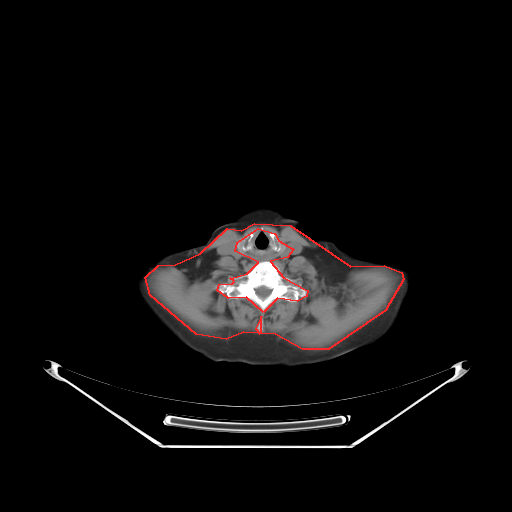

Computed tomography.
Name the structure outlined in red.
red: muscle.
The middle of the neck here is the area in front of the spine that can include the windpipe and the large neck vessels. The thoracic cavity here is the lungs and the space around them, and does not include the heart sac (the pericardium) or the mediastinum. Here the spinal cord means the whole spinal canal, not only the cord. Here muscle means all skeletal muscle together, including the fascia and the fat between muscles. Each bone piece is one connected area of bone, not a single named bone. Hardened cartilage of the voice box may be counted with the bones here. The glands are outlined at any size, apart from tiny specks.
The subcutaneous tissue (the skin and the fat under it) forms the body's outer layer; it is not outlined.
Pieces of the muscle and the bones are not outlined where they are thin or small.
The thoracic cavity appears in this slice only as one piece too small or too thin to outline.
{"muscle":[{"outer":[[254,223],[290,225],[350,266],[384,265],[401,272],[403,279],[385,310],[328,349],[302,349],[275,334],[261,333],[261,316],[255,328],[259,333],[243,332],[226,339],[196,334],[150,295],[145,277],[158,265],[175,264],[200,253],[227,228],[241,230]],"hole":[[258,228],[274,233],[278,240],[293,249],[287,257],[270,261],[283,277],[307,290],[306,296],[297,301],[277,298],[263,312],[246,297],[228,298],[217,290],[219,284],[232,283],[234,281],[230,278],[247,273],[258,262],[235,251],[237,242]]}],"torso":[[[258,205],[279,209],[299,221],[301,231],[309,238],[330,240],[360,258],[412,263],[416,281],[391,331],[373,345],[329,360],[290,367],[260,367],[210,361],[186,347],[162,326],[139,299],[134,288],[136,275],[144,264],[169,252],[203,244],[218,226]]],"bones":[{"outer":[[260,261],[270,261],[276,265],[283,277],[290,278],[293,280],[292,284],[307,290],[306,296],[293,302],[277,298],[261,312],[259,306],[246,297],[228,298],[225,293],[218,292],[217,286],[219,284],[232,283],[234,281],[230,278],[236,278],[247,273]],"hole":[[260,286],[265,286],[266,287],[267,287],[268,288],[269,288],[271,290],[271,291],[270,292],[270,293],[267,296],[266,296],[264,298],[262,298],[261,297],[260,297],[256,293],[256,292],[255,291],[255,289],[256,288],[257,288],[258,287],[259,287]]},[[272,232],[276,235],[276,237],[278,240],[278,244],[279,245],[279,247],[280,248],[279,248],[277,250],[275,250],[274,249],[274,246],[275,246],[276,245],[276,243],[275,242],[274,239],[270,236],[270,233],[271,233]]],"middle_of_the_neck":[[[258,228],[263,228],[271,232],[269,236],[275,243],[273,249],[279,254],[282,254],[287,246],[293,250],[283,259],[275,258],[258,261],[244,257],[242,255],[244,252],[252,248],[249,243],[244,245],[245,238],[248,238],[249,241],[254,235],[251,232]]],"thyroid_glands":[[[242,239],[244,239],[244,241],[243,242],[243,246],[242,247],[243,248],[243,250],[244,251],[243,252],[243,254],[241,254],[240,253],[240,252],[238,250],[238,249],[237,248],[237,247],[236,246],[236,244],[237,243],[237,242],[239,240],[241,240]],[[279,240],[281,240],[282,241],[283,241],[285,243],[285,244],[286,245],[286,247],[285,248],[285,249],[284,250],[284,251],[283,251],[282,252],[282,253],[279,253],[278,252],[278,250],[279,249],[280,249],[281,248],[280,247],[280,245],[279,244]]],"spinal_cord":[[[260,286],[265,286],[266,287],[267,287],[268,288],[269,288],[271,290],[271,291],[270,292],[270,293],[267,296],[266,296],[264,298],[262,298],[261,297],[260,297],[256,293],[256,292],[255,291],[255,289],[256,288],[257,288],[258,287],[259,287]]]}